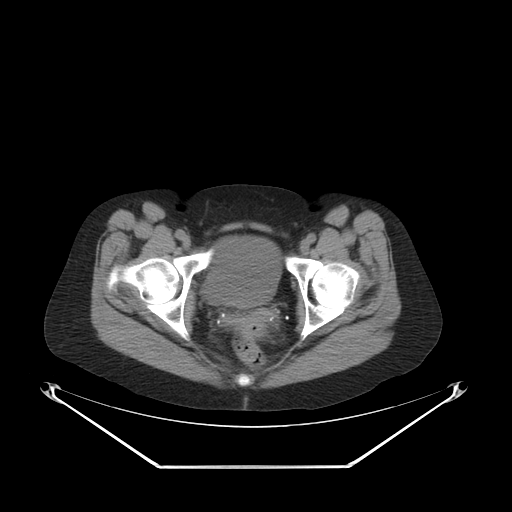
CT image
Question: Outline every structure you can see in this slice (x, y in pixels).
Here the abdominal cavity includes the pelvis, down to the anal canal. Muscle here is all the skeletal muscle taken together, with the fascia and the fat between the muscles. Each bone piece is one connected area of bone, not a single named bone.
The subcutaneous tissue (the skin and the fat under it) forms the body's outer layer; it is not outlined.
Answer: muscle 1: 147 200; 158 204; 183 226; 194 244; 202 240; 204 231; 242 220; 281 229; 298 241; 340 204; 354 215; 373 210; 382 218; 391 243; 401 301; 391 343; 344 370; 257 390; 221 389; 192 381; 105 345; 90 320; 97 241; 115 210, around holes outlined by 238 229; 283 239; 289 247; 284 256; 341 262; 360 275; 343 312; 299 341; 305 305; 292 274; 291 344; 259 369; 214 360; 191 336; 185 340; 147 308; 135 286; 120 281; 116 291; 107 287; 116 265; 205 251; 214 245; 212 236 and by 241 372; 242 372; 243 373; 245 373; 246 374; 247 374; 251 378; 253 378; 253 381; 249 385; 247 385; 246 386; 240 386; 235 381; 235 379; 238 376; 238 375
muscle 2: 200 272; 201 272; 201 277; 200 278; 200 283; 199 284; 199 288; 197 294; 197 299; 195 305; 195 311; 194 312; 190 336; 190 333; 186 327; 185 321; 184 320; 185 303; 186 302; 186 299; 189 290; 191 287; 192 279; 195 274
torso: 234 183; 279 186; 305 197; 334 190; 369 196; 389 207; 406 227; 442 313; 440 337; 422 363; 365 394; 332 406; 246 411; 196 409; 148 398; 55 356; 43 335; 45 309; 75 234; 92 209; 134 190; 169 187; 186 196; 210 186
abdominal cavity: 238 229; 265 232; 287 242; 289 248; 283 253; 283 262; 285 269; 291 274; 291 287; 295 299; 295 316; 290 346; 275 361; 254 371; 226 366; 214 360; 194 343; 191 336; 202 271; 210 264; 214 254; 212 247; 214 241; 210 238
bones 1: 210 248; 213 249; 210 262; 204 269; 193 275; 184 303; 183 320; 189 333; 189 340; 181 337; 147 308; 135 286; 120 281; 116 286; 116 291; 109 290; 107 287; 108 275; 116 265; 138 264; 152 257; 164 257; 170 261; 174 257
bones 2: 286 255; 311 258; 320 260; 324 263; 330 261; 341 262; 355 269; 360 275; 355 288; 353 301; 344 309; 341 314; 314 330; 302 341; 299 341; 299 339; 305 320; 305 305; 298 285; 298 282; 295 276; 288 271; 285 267; 284 257
bones 3: 241 372; 242 372; 243 373; 245 373; 246 374; 247 374; 251 378; 253 378; 253 381; 249 385; 247 385; 246 386; 240 386; 235 381; 235 379; 238 376; 238 375